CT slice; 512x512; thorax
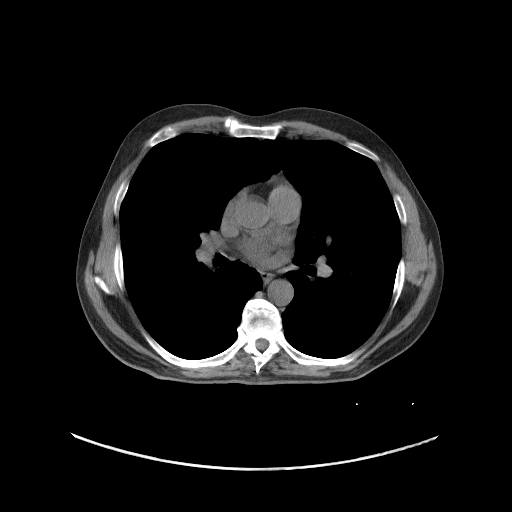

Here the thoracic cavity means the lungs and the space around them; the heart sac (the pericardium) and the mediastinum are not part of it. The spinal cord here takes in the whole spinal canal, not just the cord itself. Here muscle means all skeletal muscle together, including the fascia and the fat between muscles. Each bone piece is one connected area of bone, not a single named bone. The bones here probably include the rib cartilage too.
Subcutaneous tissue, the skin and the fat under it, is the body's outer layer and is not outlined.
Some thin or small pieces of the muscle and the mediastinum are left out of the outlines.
Outlines (x, y in pixels):
bones 1: [[251,298],[263,298],[277,308],[286,340],[307,355],[331,359],[364,349],[354,360],[335,366],[301,364],[281,350],[258,374],[251,356],[241,349],[235,360],[215,366],[184,368],[175,365],[150,346],[141,328],[178,357],[210,357],[235,341],[243,308]], around a hole outlined by [[259,338],[263,338],[264,339],[265,339],[268,342],[268,345],[267,346],[267,347],[265,349],[264,349],[263,350],[259,350],[256,347],[256,341]]
bones 2: [[227,116],[236,118],[242,123],[247,123],[252,125],[273,125],[277,123],[282,123],[283,124],[283,127],[279,135],[274,139],[270,139],[269,138],[257,138],[256,137],[236,137],[235,136],[231,136],[226,133],[225,130],[223,128],[222,125],[223,119]]
bones 3: [[167,125],[172,125],[173,126],[174,125],[176,125],[177,126],[180,126],[181,127],[181,131],[180,133],[171,138],[169,138],[163,141],[161,141],[157,143],[155,145],[151,147],[149,147],[147,145],[147,141],[149,139],[149,138],[159,129]]
bones 4: [[117,242],[120,242],[121,254],[122,255],[122,261],[123,262],[123,276],[124,277],[124,285],[125,286],[125,289],[123,291],[122,291],[120,289],[117,283],[117,281],[115,277],[115,274],[114,273],[114,270],[113,269],[113,256],[114,255],[114,248]]
bones 5: [[401,258],[404,260],[404,265],[405,266],[404,282],[403,283],[403,286],[402,287],[400,295],[397,300],[397,302],[394,307],[391,309],[392,292],[393,291],[393,287],[394,286],[394,282],[395,281],[395,276],[397,271],[397,267],[398,266],[399,261]]
bones 6: [[346,141],[354,141],[355,142],[357,142],[363,145],[368,149],[374,152],[378,156],[379,158],[379,160],[378,161],[374,161],[370,158],[358,152],[356,152],[350,149],[348,147],[344,145]]
bones 7: [[127,178],[129,179],[129,184],[128,185],[128,187],[127,188],[126,193],[120,204],[120,207],[119,208],[119,213],[118,215],[115,215],[113,211],[113,205],[114,204],[115,195],[116,194],[116,192],[121,182],[124,179],[126,179]]
bones 8: [[394,193],[397,193],[400,196],[404,204],[404,207],[405,208],[405,212],[406,213],[406,223],[404,225],[400,223],[400,221],[399,220],[399,218],[398,217],[398,215],[396,211],[396,208],[395,207],[394,201],[393,200],[393,197],[392,196],[392,195]]
bones 9: [[95,276],[99,276],[105,282],[105,283],[107,285],[107,286],[109,288],[109,289],[111,291],[111,294],[107,294],[106,293],[105,293],[104,292],[104,291],[95,282],[95,281],[94,280],[94,277]]
mediastinum 1: [[219,228],[219,243],[224,249],[236,258],[264,270],[277,270],[288,262],[288,260],[294,246],[294,239],[294,252],[291,269],[284,274],[292,284],[294,294],[291,301],[281,313],[267,299],[252,297],[262,287],[261,278],[255,269],[238,260],[229,261],[218,251],[216,232]]
mediastinum 2: [[281,169],[282,169],[282,170],[283,171],[283,172],[284,173],[284,174],[286,176],[286,177],[291,182],[291,183],[290,183],[290,182],[289,181],[288,181],[288,180],[281,173],[274,173],[277,173]]
torso: [[184,103],[217,104],[252,115],[298,106],[326,109],[359,121],[390,146],[435,219],[444,261],[443,286],[436,311],[425,331],[409,348],[351,381],[246,385],[157,379],[124,364],[104,347],[89,326],[76,291],[75,269],[81,235],[127,133],[147,115]]
pericardium: [[274,174],[281,174],[291,184],[299,195],[300,208],[299,217],[295,228],[293,246],[287,262],[277,269],[264,269],[261,267],[252,265],[239,257],[236,257],[224,248],[222,244],[220,243],[220,228],[224,211],[228,202],[240,190],[246,186],[263,182]]
spinal cord: [[259,338],[263,338],[264,339],[265,339],[268,342],[268,345],[267,346],[267,347],[265,349],[264,349],[263,350],[259,350],[256,347],[256,341]]
muscle 1: [[146,140],[149,149],[130,179],[127,177],[120,182],[114,195],[112,211],[118,216],[120,241],[113,248],[112,269],[119,289],[122,292],[126,290],[143,327],[140,328],[141,335],[167,362],[184,369],[215,367],[235,361],[241,350],[250,356],[258,375],[261,368],[281,351],[305,366],[335,367],[354,361],[364,351],[360,347],[375,331],[390,303],[391,310],[397,304],[405,282],[401,225],[407,223],[406,208],[401,196],[397,192],[391,193],[375,162],[380,160],[379,156],[390,165],[411,194],[420,226],[432,242],[436,277],[425,304],[405,329],[358,365],[327,376],[189,377],[138,352],[111,332],[98,315],[85,289],[84,271],[90,250],[95,252],[99,245],[108,193]]; inner edge: [[95,276],[99,276],[105,282],[105,283],[107,285],[107,286],[109,288],[109,289],[111,291],[111,294],[107,294],[106,293],[105,293],[104,292],[104,291],[95,282],[95,281],[94,280],[94,277]]
muscle 2: [[281,120],[302,120],[306,121],[338,132],[346,136],[349,139],[354,140],[346,140],[342,144],[337,141],[334,141],[330,139],[304,137],[300,135],[298,136],[280,135],[284,127],[284,124],[282,122],[277,122],[273,124],[266,124],[270,124],[273,122]]
muscle 3: [[205,115],[226,116],[222,119],[222,122],[221,123],[222,128],[225,132],[213,132],[212,131],[184,131],[181,132],[182,131],[182,127],[180,125],[177,125],[176,124],[173,125],[172,124],[168,124],[184,119],[194,118],[195,117],[199,117]]
thoracic cavity: [[184,132],[330,140],[376,164],[400,224],[401,257],[388,307],[359,347],[320,357],[285,336],[281,314],[295,294],[285,274],[302,197],[282,168],[242,187],[215,232],[217,251],[261,281],[234,341],[184,358],[144,328],[125,285],[120,208],[150,148]]